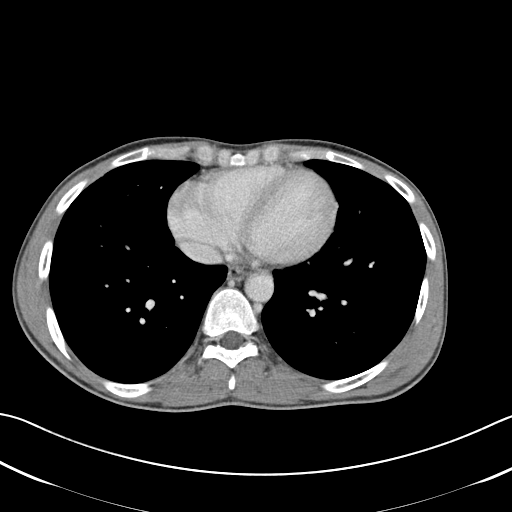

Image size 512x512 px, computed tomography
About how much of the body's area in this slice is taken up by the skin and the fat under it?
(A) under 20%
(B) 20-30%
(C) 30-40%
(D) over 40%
(A) under 20%
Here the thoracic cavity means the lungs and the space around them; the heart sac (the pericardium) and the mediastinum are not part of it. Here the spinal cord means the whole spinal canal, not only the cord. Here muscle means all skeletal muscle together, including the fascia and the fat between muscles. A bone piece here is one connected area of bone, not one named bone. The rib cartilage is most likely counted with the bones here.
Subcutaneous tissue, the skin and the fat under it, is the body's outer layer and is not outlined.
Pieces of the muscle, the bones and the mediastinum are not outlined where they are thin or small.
The mediastinum is outlined by 323,248 319,255 299,269 285,273 279,270 274,271 273,294 261,310 259,320 250,302 241,291 231,287 224,287 216,290 226,278 228,271 227,267 223,264 202,263 226,263 232,267 238,268 284,270 307,262. The pericardium is outlined by 272,163 297,164 309,167 320,174 333,191 338,203 333,233 315,255 299,265 284,269 250,268 232,266 226,262 199,262 188,257 176,245 167,224 167,204 171,194 179,184 203,169 220,166 247,166. The bones appear in 11 outlined pieces: piece 1: 224,288 236,289 243,294 249,302 262,328 261,331 253,334 253,341 257,346 258,355 248,356 242,359 232,369 217,358 207,358 203,359 200,363 198,362 206,344 205,337 200,331 200,326 207,305 213,293 with a hole at 228,331 234,331 242,335 243,337 243,339 244,340 243,341 243,344 233,349 231,349 230,348 226,348 222,346 220,344 220,338 223,334 224,334; piece 2: 184,145 192,150 207,145 215,151 226,149 242,154 252,149 261,151 276,145 281,155 271,163 260,161 247,165 222,166 215,162 200,163 190,154 185,159 150,158 107,170 110,163 120,155 144,146 171,148; piece 3: 385,357 388,358 389,361 388,364 384,369 371,379 356,387 354,387 351,389 342,392 330,392 324,389 321,386 322,383 325,382 327,380 337,380 338,379 342,379 343,378 353,376 363,371 365,371 378,363; piece 4: 308,149 313,149 314,150 332,150 335,152 340,153 361,163 369,171 371,171 373,174 365,170 350,165 338,162 334,162 326,159 312,158 307,160 297,160 296,161 289,160 285,155 286,152 291,150 307,150; piece 5: 102,378 104,378 114,382 124,383 125,384 135,384 136,383 144,383 145,384 149,384 150,383 153,383 150,385 151,390 146,393 144,393 135,397 122,397 121,396 118,396 106,389 101,382 101,379; piece 6: 48,305 51,305 53,308 53,310 54,311 58,325 60,328 61,333 65,340 65,342 69,348 68,349 68,353 71,357 69,360 67,359 59,350 53,341 49,332 49,330 47,326 47,321 46,320 46,308; piece 7: 83,179 87,179 88,181 88,184 73,200 73,201 69,205 69,206 63,213 63,214 62,215 59,215 55,211 55,209 60,199 62,197 62,196 73,185 74,185 76,183 77,183 79,181; piece 8: 48,239 53,239 53,247 52,248 52,253 51,254 51,259 50,260 50,265 49,266 49,273 48,274 48,278 47,279 45,280 40,280 38,275 39,258 40,257 40,254 41,253 41,250 43,247 43,245; piece 9: 385,173 388,173 389,174 391,174 395,176 397,178 403,181 409,187 409,188 412,191 415,197 415,201 411,205 410,205 408,203 408,202 392,186 391,186 386,181 384,180 383,178 383,175; piece 10: 424,275 425,275 428,279 428,285 429,286 428,289 428,295 427,296 427,301 426,302 426,305 424,311 418,323 415,324 414,323 411,323 414,317 414,314 417,305 417,301 419,296 419,292 421,287 421,283; piece 11: 419,221 423,222 428,227 433,237 433,240 434,241 434,244 435,245 435,258 433,261 427,259 427,256 426,255 426,252 425,251 424,244 422,240 422,237 421,236 420,230 419,229 419,226 418,225 418,222. The muscle appears in 2 outlined pieces: piece 1: 333,150 366,159 404,180 423,201 438,233 443,265 441,331 427,363 405,383 375,395 303,399 296,403 266,403 233,396 180,406 131,401 98,390 76,376 38,341 28,327 18,302 18,271 42,214 72,178 119,155 109,163 107,171 101,176 89,184 88,179 83,178 61,196 54,209 62,216 54,238 48,238 40,250 37,275 40,281 48,279 51,299 51,304 45,308 46,326 52,341 67,360 72,358 70,349 86,367 101,377 100,382 106,390 118,397 135,398 150,392 152,384 181,367 202,336 205,344 197,362 200,364 203,360 217,359 232,370 242,360 259,355 254,334 262,331 271,347 290,366 326,380 320,385 324,390 342,393 366,383 389,364 390,360 386,356 400,342 410,325 419,323 430,288 429,279 424,274 426,261 435,260 436,245 429,227 421,220 417,222 410,206 416,197 403,180 388,172 381,179 361,162 with a hole at 232,373 233,373 234,374 234,376 235,377 235,385 234,386 234,388 233,389 229,389 229,388 228,387 228,381 229,380 229,378 230,377 230,376 231,375 231,374; piece 2: 273,143 275,143 276,144 293,144 294,145 302,145 303,146 318,146 319,147 324,147 325,148 331,149 314,149 313,148 308,148 307,149 291,149 285,152 284,155 288,160 287,161 285,161 284,160 279,160 282,155 282,151 281,149 276,144 270,144 266,146 261,150 259,150 256,148 254,148 256,148 257,147 259,147 266,144 272,144. The thoracic cavity appears in 2 outlined pieces: piece 1: 150,159 189,160 198,164 198,169 170,194 166,224 174,245 188,258 206,265 223,265 227,271 206,305 199,326 201,337 182,365 158,382 125,383 97,374 69,347 52,304 49,274 60,222 81,192 112,169; piece 2: 312,159 326,160 365,171 392,187 411,209 426,256 413,317 399,342 372,366 337,379 315,377 290,365 272,347 260,322 262,310 274,294 275,271 285,274 307,266 320,255 334,233 339,203 329,182 305,164. The spinal cord is outlined by 228,331 234,331 242,335 243,337 243,339 244,340 243,341 243,344 233,349 231,349 230,348 226,348 222,346 220,344 220,338 223,334 224,334. The torso is outlined by 160,135 231,143 329,140 366,152 413,181 435,214 447,256 447,326 440,353 427,374 404,393 373,403 291,410 225,405 164,412 100,398 46,361 22,331 11,296 15,259 31,222 50,192 72,170 126,142.